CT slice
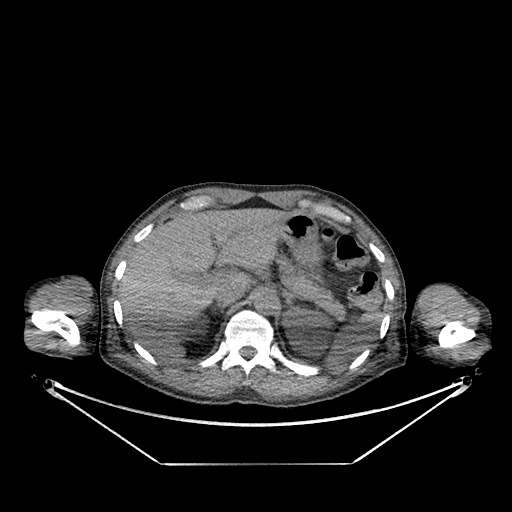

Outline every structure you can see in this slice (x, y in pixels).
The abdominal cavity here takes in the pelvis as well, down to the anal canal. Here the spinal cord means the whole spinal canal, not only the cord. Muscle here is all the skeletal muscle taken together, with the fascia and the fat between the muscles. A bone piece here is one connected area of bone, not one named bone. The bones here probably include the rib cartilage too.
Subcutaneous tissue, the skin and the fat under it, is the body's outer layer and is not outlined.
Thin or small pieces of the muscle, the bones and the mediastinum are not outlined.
The right arm is outlined by 64 273; 79 274; 89 280; 97 291; 99 304; 98 335; 99 338; 97 349; 88 357; 78 357; 73 360; 33 352; 26 347; 23 341; 23 328; 25 317; 23 308; 23 298; 26 290; 33 283; 40 279; 51 276; 57 276. The abdominal cavity is outlined by 252 197; 280 207; 297 204; 349 226; 377 260; 385 313; 375 339; 349 363; 323 367; 288 358; 275 341; 278 300; 267 291; 257 293; 229 318; 213 353; 189 363; 162 362; 134 340; 124 325; 120 280; 134 248; 154 226; 176 212. The bones appear in 13 outlined pieces: piece 1: 243 309; 255 311; 269 321; 273 327; 274 341; 288 359; 318 366; 319 372; 315 375; 300 375; 277 360; 275 365; 278 372; 257 364; 247 376; 239 365; 222 369; 220 360; 207 367; 200 366; 198 363; 201 360; 217 350; 230 318, around a hole outlined by 245 346; 249 346; 250 347; 252 347; 253 348; 254 348; 256 350; 256 352; 253 355; 253 356; 252 357; 251 357; 248 359; 247 359; 246 358; 243 357; 240 354; 240 353; 239 352; 240 349; 242 347; 244 347; piece 2: 42 308; 59 309; 64 311; 68 316; 72 318; 77 325; 80 332; 80 343; 78 345; 75 346; 70 346; 67 343; 66 340; 55 331; 38 332; 39 330; 38 328; 32 323; 30 319; 30 316; 31 313; 34 310; 37 310; piece 3: 452 322; 459 322; 462 324; 464 324; 467 327; 472 328; 475 331; 476 334; 473 338; 458 344; 456 347; 453 347; 452 348; 441 348; 439 347; 439 344; 438 343; 438 335; 439 334; 440 329; 442 327; 445 327; 447 326; piece 4: 302 199; 307 199; 308 200; 310 200; 312 202; 319 203; 326 206; 332 206; 343 212; 345 214; 348 215; 351 218; 351 222; 349 224; 345 224; 325 215; 317 213; 310 207; 301 207; 298 204; 298 202; piece 5: 204 194; 205 195; 208 195; 209 196; 211 196; 214 200; 213 202; 212 202; 207 206; 204 206; 203 207; 201 207; 197 209; 192 209; 191 210; 184 210; 179 206; 179 204; 180 202; 189 198; 191 196; 198 196; 199 195; 203 195; piece 6: 134 341; 136 341; 143 348; 144 348; 146 350; 147 350; 153 356; 153 357; 157 362; 157 364; 156 365; 155 365; 154 364; 152 364; 150 362; 147 361; 139 354; 139 353; 136 350; 136 349; 134 347; 134 345; 133 344; 133 342; piece 7: 367 348; 369 349; 369 353; 366 357; 366 358; 363 361; 363 362; 361 364; 357 366; 354 369; 352 370; 351 369; 349 369; 348 367; 350 363; 357 356; 358 356; 364 350; 365 350; piece 8: 149 223; 153 223; 153 224; 154 225; 153 226; 153 227; 152 228; 152 229; 151 230; 151 231; 143 239; 142 239; 140 241; 139 241; 138 242; 135 242; 133 239; 133 238; 134 237; 134 236; 142 228; 143 228; 146 225; 147 225; piece 9: 115 299; 118 299; 119 300; 119 301; 120 302; 120 305; 121 306; 121 312; 122 313; 122 326; 121 327; 120 327; 119 326; 119 325; 118 324; 118 323; 116 320; 116 318; 115 317; 115 315; 114 314; 114 310; 113 309; 113 302; piece 10: 386 313; 387 313; 389 315; 389 325; 388 326; 388 328; 387 329; 387 331; 386 332; 386 333; 385 334; 384 337; 382 339; 381 339; 379 337; 379 331; 380 330; 380 326; 381 325; 381 323; 382 322; 382 320; 384 317; 384 315; piece 11: 370 242; 371 242; 373 244; 374 244; 383 253; 383 254; 385 257; 385 260; 383 262; 380 262; 379 261; 378 261; 378 260; 375 257; 375 256; 374 255; 374 254; 371 251; 371 250; 370 249; 370 248; 368 245; piece 12: 385 279; 388 279; 390 281; 390 282; 391 283; 391 284; 393 287; 393 289; 394 290; 394 296; 393 297; 393 299; 391 301; 390 300; 389 300; 387 298; 387 296; 386 295; 386 292; 385 291; 385 288; 384 287; 384 282; 385 281; piece 13: 122 260; 125 260; 126 261; 126 265; 125 266; 125 269; 123 272; 123 274; 122 275; 122 276; 121 277; 121 278; 119 280; 117 280; 115 278; 115 276; 114 275; 114 273; 115 272; 115 269; 116 268; 116 267; 118 265; 118 264. The torso is outlined by 201 181; 304 183; 333 191; 354 203; 388 240; 403 272; 407 301; 404 318; 408 342; 405 364; 335 399; 294 408; 240 403; 229 405; 192 403; 148 388; 108 366; 98 351; 100 338; 98 291; 107 256; 131 222; 161 195; 173 188. The muscle appears in 3 outlined pieces: piece 1: 205 187; 233 188; 234 189; 242 189; 254 192; 283 191; 284 190; 308 190; 316 192; 341 203; 352 210; 359 216; 376 234; 384 245; 392 259; 393 264; 398 274; 398 278; 400 283; 400 293; 399 294; 400 296; 400 306; 398 312; 399 313; 399 317; 397 320; 397 326; 396 327; 397 341; 398 342; 398 352; 397 355; 393 358; 389 358; 383 360; 378 365; 373 367; 369 372; 362 374; 355 380; 349 381; 343 386; 334 390; 331 390; 319 395; 312 395; 307 398; 297 398; 296 399; 283 400; 282 401; 271 401; 264 399; 253 389; 251 388; 245 388; 244 387; 238 389; 232 393; 226 394; 221 397; 192 394; 181 390; 175 389; 173 387; 168 386; 164 383; 158 382; 154 379; 150 378; 144 374; 136 372; 132 368; 120 364; 110 358; 107 355; 106 352; 106 344; 108 339; 108 329; 109 328; 108 325; 110 322; 108 315; 107 299; 105 293; 105 280; 113 257; 137 224; 154 210; 170 199; 178 197; 185 192, around a hole outlined by 204 194; 213 198; 210 206; 259 197; 280 207; 292 207; 307 199; 332 206; 351 218; 347 225; 361 241; 366 245; 371 242; 383 253; 385 260; 377 262; 381 280; 383 284; 388 279; 394 290; 391 301; 385 298; 384 312; 389 315; 387 331; 382 339; 378 333; 367 346; 369 353; 361 364; 352 370; 349 363; 320 366; 317 374; 305 376; 276 360; 278 372; 257 364; 246 376; 239 365; 222 369; 220 360; 202 367; 198 364; 200 359; 173 364; 156 358; 155 365; 139 354; 126 326; 123 322; 120 327; 114 314; 113 302; 120 298; 115 269; 122 260; 128 261; 138 243; 133 238; 142 228; 182 211; 180 202; piece 2: 436 284; 444 284; 453 287; 481 311; 481 317; 486 329; 486 338; 488 346; 476 358; 457 362; 453 360; 446 360; 431 354; 430 355; 425 350; 425 348; 421 342; 418 331; 418 321; 417 320; 419 312; 418 301; 424 290; 428 287 with a hole at 452 322; 459 322; 462 324; 464 324; 467 327; 472 328; 475 331; 476 334; 473 338; 458 344; 456 347; 453 347; 452 348; 441 348; 439 347; 439 344; 438 343; 438 335; 439 334; 440 329; 442 327; 445 327; 447 326; piece 3: 71 277; 83 280; 94 294; 93 314; 89 332; 85 338; 86 350; 72 354; 32 347; 27 339; 29 319; 37 328; 38 333; 55 332; 70 347; 81 343; 81 332; 78 325; 64 310; 42 307; 30 312; 28 308; 31 295; 39 287. The spinal cord is outlined by 245 346; 249 346; 250 347; 252 347; 253 348; 254 348; 256 350; 256 352; 253 355; 253 356; 252 357; 251 357; 248 359; 247 359; 246 358; 243 357; 240 354; 240 353; 239 352; 240 349; 242 347; 244 347. The mediastinum is outlined by 262 292; 267 292; 270 294; 272 294; 277 300; 277 311; 276 312; 276 320; 275 321; 275 337; 274 336; 275 335; 274 327; 270 321; 265 316; 255 310; 249 308; 244 308; 245 306; 247 306; 251 303; 252 300; 257 294; 259 294. The left arm is outlined by 437 280; 450 281; 459 285; 469 293; 479 298; 490 310; 492 317; 492 349; 480 358; 477 363; 477 366; 475 367; 464 367; 450 371; 441 365; 433 364; 427 359; 418 356; 411 346; 409 327; 411 312; 416 295; 425 285.